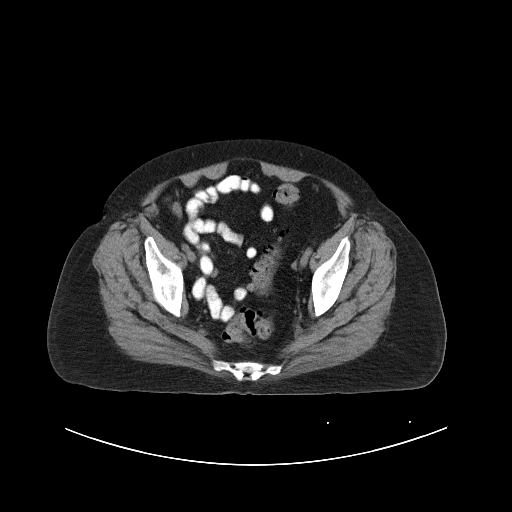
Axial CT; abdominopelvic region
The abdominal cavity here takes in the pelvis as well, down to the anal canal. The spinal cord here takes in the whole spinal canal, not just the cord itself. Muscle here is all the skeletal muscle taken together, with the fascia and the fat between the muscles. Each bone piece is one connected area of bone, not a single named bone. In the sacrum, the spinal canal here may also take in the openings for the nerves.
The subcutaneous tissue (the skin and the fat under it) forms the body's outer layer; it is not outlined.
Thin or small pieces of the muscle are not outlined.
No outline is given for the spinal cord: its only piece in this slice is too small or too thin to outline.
The abdominal cavity is outlined by 238,161 255,162 265,175 285,181 305,177 319,180 335,196 343,219 311,254 307,318 271,363 223,358 220,348 190,317 183,273 188,256 152,222 159,213 156,198 169,184 178,180 191,186 201,177 216,179. The bones appear in 3 outlined pieces: piece 1: 147,236 151,236 154,239 156,245 161,253 166,258 176,263 180,267 182,271 183,281 184,282 184,289 182,292 181,308 179,317 177,317 167,311 154,299 151,282 149,278 145,260 144,240; piece 2: 345,236 348,236 349,238 350,241 350,251 349,252 348,269 345,275 340,292 334,303 325,312 318,316 315,316 315,312 313,306 313,299 311,294 311,279 312,278 313,272 318,266 327,260 334,253 341,239; piece 3: 214,359 224,360 229,362 256,361 262,363 280,364 282,367 279,373 277,374 266,373 256,380 253,381 249,379 243,379 239,381 228,370 225,369 219,371 215,370 213,368 213,364 212,363 212,361. The torso is outlined by 247,137 294,141 339,158 367,181 418,239 434,270 447,330 443,363 429,384 410,390 351,394 199,395 96,389 68,383 55,373 46,349 46,327 60,272 72,244 88,225 100,219 114,188 136,167 168,150. The muscle is outlined by 239,156 318,174 339,186 360,210 387,229 397,252 394,302 382,337 360,356 268,383 254,381 266,374 280,373 283,366 272,362 307,320 310,294 315,317 335,303 349,269 351,241 348,235 343,236 333,253 312,271 312,254 344,222 336,196 317,178 285,180 265,174 257,162 247,160 232,161 222,175 201,176 191,185 175,180 155,198 158,213 151,222 187,256 183,271 162,253 151,235 143,240 153,299 179,318 184,290 189,317 219,348 223,359 214,358 212,368 228,371 236,380 186,366 134,360 114,343 107,328 98,275 91,262 109,226 159,182.